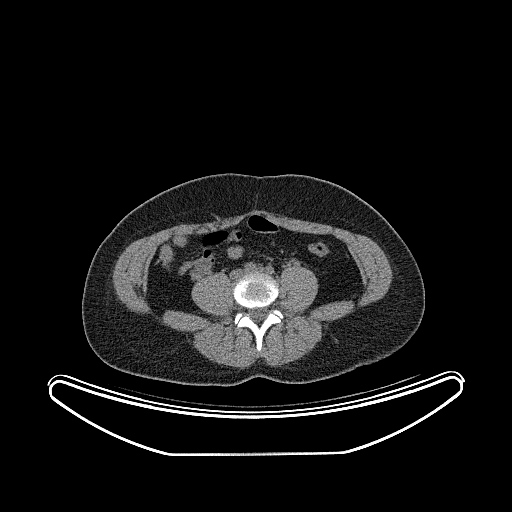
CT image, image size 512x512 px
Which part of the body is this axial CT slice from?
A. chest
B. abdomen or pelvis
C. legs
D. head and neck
Answer: B. abdomen or pelvis
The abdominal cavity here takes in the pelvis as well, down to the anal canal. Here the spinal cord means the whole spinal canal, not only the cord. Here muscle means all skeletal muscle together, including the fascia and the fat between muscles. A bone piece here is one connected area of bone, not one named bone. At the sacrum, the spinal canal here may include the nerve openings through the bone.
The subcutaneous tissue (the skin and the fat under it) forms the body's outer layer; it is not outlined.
spinal cord: [[263,307],[265,307],[266,308],[267,308],[267,314],[266,315],[266,316],[265,317],[265,318],[262,321],[261,321],[260,322],[255,322],[250,317],[250,316],[249,315],[249,314],[248,313],[248,310],[249,310],[250,309],[252,309],[253,308],[262,308]]
bones: [[257,272],[267,274],[276,281],[278,285],[278,295],[271,306],[277,308],[283,315],[281,322],[272,324],[266,330],[259,351],[256,348],[256,341],[253,332],[248,327],[237,327],[234,323],[235,314],[242,308],[235,301],[233,296],[235,283],[244,275]], around a hole outlined by [[263,307],[265,307],[266,308],[267,308],[267,314],[266,315],[266,316],[265,317],[265,318],[262,321],[261,321],[260,322],[255,322],[250,317],[250,316],[249,315],[249,314],[248,313],[248,310],[249,310],[250,309],[252,309],[253,308],[262,308]]
muscle: [[253,209],[263,209],[290,218],[327,224],[365,235],[378,244],[390,264],[392,279],[386,294],[381,299],[330,323],[322,339],[309,353],[303,357],[281,367],[267,365],[262,359],[259,359],[243,369],[221,365],[208,360],[200,354],[187,341],[183,333],[172,330],[166,326],[159,325],[149,315],[141,315],[129,311],[117,299],[112,282],[113,269],[119,255],[133,241],[182,223],[189,224],[209,222],[221,218],[240,215]] with a hole at [[252,214],[341,240],[361,278],[355,300],[309,309],[319,288],[314,272],[282,270],[271,306],[283,318],[266,330],[259,351],[253,332],[234,323],[242,308],[224,273],[191,288],[191,299],[207,316],[163,310],[147,295],[149,265],[162,242],[223,231]]
abdominal cavity: [[252,214],[291,231],[330,234],[345,243],[361,278],[355,300],[335,300],[309,309],[318,293],[318,279],[307,267],[291,266],[276,280],[257,271],[234,284],[222,272],[199,279],[190,295],[207,316],[150,305],[148,269],[162,242],[174,235],[223,231]]
torso: [[227,172],[314,176],[350,190],[375,208],[406,243],[422,276],[425,307],[420,324],[410,339],[379,361],[309,383],[282,383],[254,377],[231,386],[184,385],[126,373],[102,361],[87,341],[81,313],[86,275],[98,246],[126,214],[154,195],[190,179]]